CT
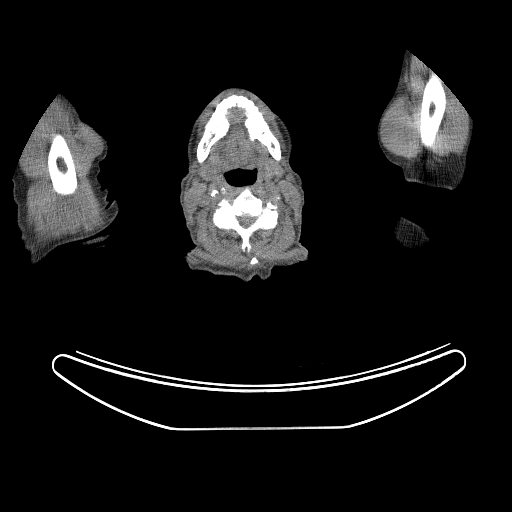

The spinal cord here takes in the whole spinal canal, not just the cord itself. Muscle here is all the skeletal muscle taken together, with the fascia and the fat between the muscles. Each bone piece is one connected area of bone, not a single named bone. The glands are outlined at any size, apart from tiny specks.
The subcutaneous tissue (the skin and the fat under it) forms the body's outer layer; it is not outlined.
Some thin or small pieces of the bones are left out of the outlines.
{"left_arm":[[[405,50],[409,51],[439,76],[457,98],[473,122],[473,131],[467,153],[464,176],[459,186],[455,189],[439,187],[429,188],[418,183],[405,180],[400,167],[390,162],[385,157],[379,147],[376,134],[378,121],[382,111],[396,87],[401,68],[403,53]],[[399,215],[400,216],[403,216],[423,227],[428,232],[428,235],[430,239],[430,242],[426,246],[421,249],[411,249],[410,248],[405,247],[398,242],[397,242],[392,236],[392,234],[391,233],[391,227],[394,222],[394,220],[396,218],[396,217]]],"spinal_cord":[[[242,215],[249,215],[250,216],[253,216],[256,218],[255,219],[255,220],[251,224],[250,224],[248,226],[247,226],[246,227],[245,227],[244,226],[243,226],[242,225],[241,225],[237,219],[237,217],[238,216],[241,216]]],"muscle":[{"outer":[[236,90],[245,92],[258,100],[273,116],[284,139],[285,151],[283,153],[285,156],[286,167],[293,176],[300,194],[297,222],[294,226],[294,245],[299,249],[299,255],[290,259],[270,262],[265,267],[254,267],[250,269],[237,269],[214,265],[206,261],[197,261],[198,258],[195,254],[200,245],[195,228],[189,219],[184,205],[184,191],[193,170],[195,156],[194,147],[196,144],[200,121],[206,111],[215,102],[227,93]],"holes":[[[238,169],[255,170],[255,180],[248,185],[252,193],[263,201],[270,200],[278,210],[274,228],[260,228],[250,236],[249,252],[242,251],[242,240],[235,230],[219,228],[212,219],[221,199],[231,200],[241,191],[242,185],[233,185],[225,176],[226,172]],[[232,94],[243,95],[252,100],[262,113],[279,143],[281,151],[279,160],[276,160],[257,139],[250,139],[244,123],[246,119],[244,110],[232,107],[226,114],[229,123],[226,133],[211,146],[207,157],[201,163],[198,162],[197,145],[204,127],[216,104]],[[273,164],[277,164],[278,165],[279,165],[279,166],[280,167],[280,168],[281,169],[281,175],[280,176],[280,177],[273,177],[271,175],[270,175],[270,170],[271,170],[272,169],[272,165]],[[203,166],[205,168],[206,168],[207,169],[207,172],[206,173],[206,174],[207,175],[207,179],[206,180],[203,180],[201,178],[200,178],[200,177],[199,176],[199,173],[198,172],[198,169],[199,168],[200,168],[201,167],[202,167]],[[253,257],[254,257],[255,257],[256,258],[257,259],[257,260],[258,261],[257,262],[257,263],[256,263],[255,264],[254,264],[253,264],[252,264],[251,264],[250,263],[250,262],[250,261],[251,260],[251,259],[252,258]]]},{"outer":[[55,98],[64,101],[82,123],[93,130],[102,140],[103,149],[93,160],[88,176],[101,205],[105,210],[106,217],[103,225],[97,229],[89,232],[66,235],[40,245],[37,243],[34,234],[28,228],[26,223],[26,189],[23,173],[18,161],[36,124]],"hole":[[57,133],[61,134],[65,139],[67,145],[70,150],[73,159],[74,166],[75,167],[75,173],[77,179],[77,188],[74,193],[68,195],[62,195],[59,194],[53,189],[52,182],[48,170],[47,159],[48,158],[49,148],[54,135]]},[[413,55],[429,68],[417,113],[417,130],[421,144],[427,149],[433,147],[437,141],[446,110],[447,86],[468,114],[466,117],[469,129],[464,150],[461,155],[457,155],[449,161],[411,162],[388,151],[381,140],[383,119],[387,110],[401,92],[405,66]]],"head_and_neck":[{"outer":[[232,86],[250,90],[283,120],[292,139],[289,162],[301,177],[304,191],[300,242],[308,250],[310,260],[276,267],[265,280],[254,276],[244,282],[233,276],[192,270],[182,258],[194,245],[179,201],[180,182],[188,170],[190,131],[203,108],[220,91]],"hole":[[238,169],[242,169],[243,170],[255,170],[256,172],[256,174],[255,175],[255,180],[252,183],[248,185],[240,185],[239,186],[238,185],[233,185],[226,179],[225,174],[226,172],[229,172],[230,171],[232,171],[233,170],[237,170]]}],"bones":[[[232,94],[243,95],[252,100],[262,113],[279,143],[281,151],[279,160],[276,160],[257,139],[250,139],[244,123],[246,119],[244,110],[232,107],[226,114],[229,123],[226,133],[211,146],[207,157],[201,163],[198,162],[197,145],[204,127],[216,104]],{"outer":[[243,186],[249,186],[252,193],[263,201],[270,200],[276,204],[278,210],[277,224],[274,228],[260,228],[250,236],[249,242],[251,249],[249,252],[242,251],[242,240],[235,230],[219,228],[213,223],[212,219],[218,202],[223,198],[233,199],[241,191]],"hole":[[242,215],[249,215],[250,216],[253,216],[256,218],[255,219],[255,220],[251,224],[250,224],[248,226],[247,226],[246,227],[245,227],[244,226],[243,226],[242,225],[241,225],[237,219],[237,217],[238,216],[241,216]]},[[429,69],[432,70],[439,76],[446,85],[445,89],[446,100],[445,101],[445,110],[437,132],[436,141],[433,146],[427,148],[421,142],[420,133],[418,130],[418,126],[419,125],[418,123],[419,119],[418,113],[421,106],[423,90],[429,77]],[[57,133],[61,134],[65,139],[67,145],[70,150],[73,159],[74,166],[75,167],[75,173],[77,179],[77,188],[74,193],[68,195],[62,195],[59,194],[53,189],[52,182],[48,170],[47,159],[48,158],[49,148],[54,135]]],"submandibular_glands":[[[273,164],[277,164],[278,165],[279,165],[279,166],[280,167],[280,168],[281,169],[281,175],[280,176],[280,177],[273,177],[271,175],[270,175],[270,170],[271,170],[272,169],[272,165]],[[203,166],[205,168],[206,168],[207,169],[207,172],[206,173],[206,174],[207,175],[207,179],[206,180],[203,180],[201,178],[200,178],[200,177],[199,176],[199,173],[198,172],[198,169],[199,168],[200,168],[201,167],[202,167]]],"right_arm":[[[63,90],[74,101],[81,118],[92,124],[107,141],[107,154],[99,163],[98,179],[101,185],[108,189],[107,199],[117,199],[119,211],[102,232],[112,233],[107,240],[108,246],[76,250],[74,243],[68,243],[31,265],[16,225],[12,179],[36,124]]]}